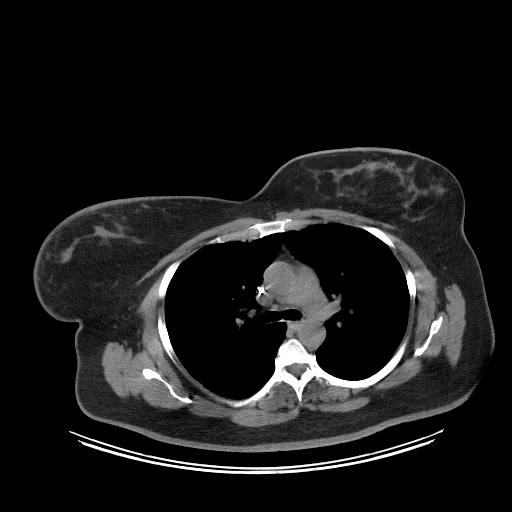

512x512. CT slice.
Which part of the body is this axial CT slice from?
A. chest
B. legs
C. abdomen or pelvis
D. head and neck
A. chest
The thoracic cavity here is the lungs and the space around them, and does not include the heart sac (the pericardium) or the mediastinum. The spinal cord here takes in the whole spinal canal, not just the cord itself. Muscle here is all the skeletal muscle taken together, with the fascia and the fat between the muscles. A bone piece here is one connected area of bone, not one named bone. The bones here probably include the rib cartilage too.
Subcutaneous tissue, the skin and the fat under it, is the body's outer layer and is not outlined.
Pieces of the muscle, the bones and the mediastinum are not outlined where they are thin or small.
Outlines:
mediastinum: 281 244; 295 258; 314 269; 326 297; 327 309; 330 316; 324 322; 326 335; 314 353; 308 351; 295 337; 285 339; 286 324; 284 322; 268 321; 270 319; 269 314; 262 313; 262 307; 256 300; 256 290; 262 282; 264 270; 278 254
thoracic cavity: 327 222; 370 233; 391 249; 403 271; 408 317; 392 356; 356 380; 321 367; 315 352; 327 335; 327 297; 315 269; 281 243; 255 290; 267 321; 285 324; 273 371; 245 398; 208 389; 179 360; 166 325; 165 297; 181 263; 205 245
torso: 354 146; 418 153; 448 168; 461 185; 463 228; 481 268; 495 332; 491 355; 463 403; 360 439; 272 452; 165 443; 94 420; 80 409; 74 393; 78 323; 50 316; 32 278; 36 253; 55 224; 80 208; 122 197; 243 200; 293 157
muscle: 295 208; 338 209; 387 223; 425 262; 442 298; 445 286; 457 284; 465 299; 466 324; 455 364; 442 355; 409 380; 377 392; 351 411; 302 408; 293 419; 257 427; 118 396; 104 378; 101 356; 110 341; 126 341; 134 351; 140 348; 143 322; 137 308; 156 276; 137 282; 186 240; 248 216; 266 220; 217 235; 165 268; 156 288; 157 298; 164 299; 164 317; 157 316; 156 327; 170 360; 175 365; 178 360; 233 408; 253 406; 281 383; 293 389; 299 404; 312 379; 328 386; 365 389; 396 367; 409 342; 404 335; 418 285; 412 270; 403 270; 392 251; 396 248; 392 238; 367 224; 271 219; 278 211, around holes outlined by 144 368; 150 368; 151 369; 155 370; 170 384; 172 387; 172 389; 178 395; 182 396; 183 397; 186 396; 190 398; 193 401; 193 402; 191 403; 186 403; 174 397; 170 393; 168 388; 161 381; 156 378; 146 379; 142 374; 142 370 and by 439 316; 442 316; 442 322; 439 329; 437 331; 437 332; 432 336; 426 349; 422 353; 422 354; 421 354; 419 356; 413 356; 413 353; 415 349; 419 347; 427 338; 429 334; 429 331; 430 330; 430 326; 431 325; 431 323
spinal cord: 295 363; 297 363; 298 364; 302 364; 303 365; 304 365; 305 366; 305 367; 304 368; 304 370; 303 371; 303 372; 299 376; 296 376; 295 375; 294 375; 293 374; 292 374; 288 370; 288 367; 290 365; 291 365; 292 364; 294 364
bones 1: 407 337; 406 348; 395 367; 365 388; 328 385; 312 378; 303 388; 300 403; 294 389; 285 382; 275 385; 272 394; 253 405; 233 407; 218 399; 241 400; 258 391; 274 371; 279 346; 290 338; 314 354; 329 374; 356 381; 381 369 with a hole at 295 363; 297 363; 298 364; 302 364; 303 365; 304 365; 305 366; 305 367; 304 368; 304 370; 303 371; 303 372; 299 376; 296 376; 295 375; 294 375; 293 374; 292 374; 288 370; 288 367; 290 365; 291 365; 292 364; 294 364
bones 2: 284 218; 317 220; 319 222; 308 224; 299 229; 290 229; 282 232; 276 232; 251 240; 236 239; 235 240; 229 240; 225 242; 215 242; 207 244; 207 242; 209 240; 217 236; 242 230; 255 223; 275 220; 276 219; 283 219
bones 3: 159 315; 162 316; 164 318; 167 333; 169 337; 169 340; 174 350; 174 352; 178 359; 176 364; 175 364; 171 360; 166 351; 164 349; 163 345; 161 342; 161 340; 159 336; 159 333; 158 332; 158 328; 157 327; 157 318
bones 4: 177 260; 180 260; 181 262; 174 272; 168 284; 168 286; 167 287; 167 289; 166 290; 166 293; 165 294; 164 298; 163 299; 160 299; 158 298; 158 296; 157 295; 157 288; 160 283; 160 281; 163 276; 163 274; 166 268; 171 263
bones 5: 144 368; 150 368; 151 369; 155 370; 170 384; 172 387; 172 389; 178 395; 182 396; 183 397; 186 396; 190 398; 193 401; 193 402; 191 403; 186 403; 174 397; 170 393; 168 388; 161 381; 156 378; 146 379; 142 374; 142 370
bones 6: 439 316; 442 316; 442 322; 439 329; 437 331; 437 332; 432 336; 426 349; 422 353; 422 354; 421 354; 419 356; 413 356; 413 353; 415 349; 419 347; 427 338; 429 334; 429 331; 430 330; 430 326; 431 325; 431 323
bones 7: 360 225; 367 225; 368 226; 373 226; 374 227; 377 227; 378 228; 379 228; 391 238; 392 241; 395 245; 395 248; 392 249; 384 242; 383 242; 379 238; 378 238; 370 232; 369 232; 368 231; 361 228; 360 227
bones 8: 408 268; 410 269; 413 273; 413 275; 414 276; 414 278; 416 281; 416 284; 417 285; 416 286; 416 293; 415 294; 415 300; 414 301; 410 300; 409 291; 408 290; 407 282; 406 281; 406 278; 405 277; 405 274; 404 273; 404 271